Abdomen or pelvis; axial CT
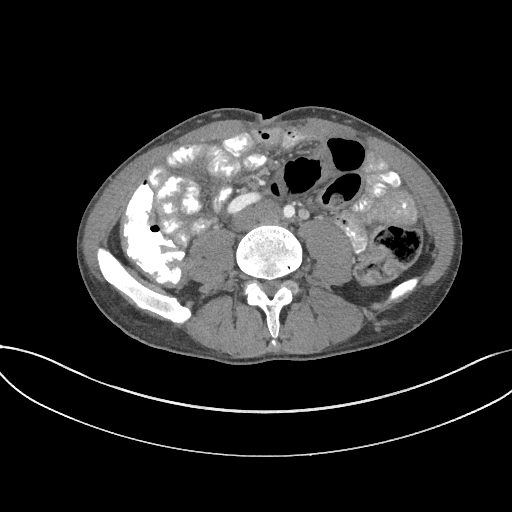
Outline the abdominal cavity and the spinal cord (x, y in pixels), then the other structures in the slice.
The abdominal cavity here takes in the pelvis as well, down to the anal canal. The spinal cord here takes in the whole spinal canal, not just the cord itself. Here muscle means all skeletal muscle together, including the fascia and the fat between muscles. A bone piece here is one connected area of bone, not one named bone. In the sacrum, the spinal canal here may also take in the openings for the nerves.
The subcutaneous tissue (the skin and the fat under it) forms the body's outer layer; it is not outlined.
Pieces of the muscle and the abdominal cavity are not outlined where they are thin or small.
{"abdominal_cavity":[[[359,304],[419,275],[434,245],[403,179],[356,140],[280,124],[185,144],[140,183],[109,234],[113,253],[140,277],[190,300],[200,284],[185,261],[202,230],[231,229],[234,251],[260,223],[298,238],[302,223],[325,220],[352,249],[352,279],[331,288]]],"spinal_cord":[[[269,296],[272,296],[275,293],[275,292],[279,288],[279,287],[280,286],[280,284],[281,283],[281,281],[282,280],[281,279],[279,279],[278,278],[277,279],[274,279],[273,280],[263,280],[261,282],[261,287],[262,288],[262,289]]],"bones":[{"outer":[[274,346],[279,332],[279,313],[297,292],[297,283],[293,274],[301,265],[302,247],[293,233],[286,228],[279,225],[260,224],[242,237],[237,245],[235,257],[237,265],[247,276],[244,284],[246,301],[250,305],[258,306],[265,313],[272,337],[270,343]],"hole":[[269,296],[272,296],[275,293],[275,292],[279,288],[279,287],[280,286],[280,284],[281,283],[281,281],[282,280],[281,279],[279,279],[278,278],[277,279],[274,279],[273,280],[263,280],[261,282],[261,287],[262,288],[262,289]]},[[179,324],[183,323],[190,317],[191,309],[189,306],[182,305],[175,296],[160,293],[145,286],[137,280],[109,250],[102,247],[99,247],[97,249],[96,257],[99,269],[107,282],[113,285],[129,297],[138,307],[142,309],[146,309],[158,314],[174,323]],[[389,300],[392,300],[393,299],[395,299],[403,295],[407,292],[412,291],[416,286],[419,280],[419,278],[417,276],[414,276],[394,286],[391,289],[390,291],[390,293],[388,297],[388,299]]],"torso":[[[232,365],[313,360],[375,347],[410,332],[435,311],[458,271],[462,229],[445,188],[411,150],[371,123],[331,107],[298,106],[267,118],[244,108],[220,107],[195,114],[160,133],[102,182],[83,211],[76,236],[80,275],[95,305],[125,334],[143,344]]],"muscle":[{"outer":[[236,357],[254,357],[267,352],[315,353],[322,351],[332,345],[335,345],[338,343],[346,341],[349,338],[356,334],[371,319],[378,315],[381,312],[390,306],[409,296],[418,289],[420,289],[425,286],[429,286],[435,283],[445,274],[451,261],[451,258],[453,254],[453,246],[454,245],[454,228],[451,216],[449,213],[448,208],[446,206],[439,191],[431,179],[412,158],[394,145],[385,141],[381,138],[361,132],[350,126],[335,121],[331,121],[327,119],[323,119],[318,117],[303,117],[302,118],[290,119],[289,120],[281,120],[280,119],[276,121],[270,121],[269,122],[265,122],[264,121],[250,121],[243,119],[225,119],[224,120],[218,120],[206,123],[204,125],[202,125],[183,134],[170,142],[151,148],[143,154],[135,158],[123,168],[111,181],[105,188],[94,207],[91,210],[84,229],[84,235],[82,240],[82,249],[84,254],[84,259],[90,273],[97,280],[115,291],[129,304],[139,311],[149,316],[160,319],[166,322],[169,322],[207,348],[213,349],[220,353],[226,353],[227,352],[229,354],[231,354]],"hole":[[274,346],[307,256],[305,221],[347,235],[352,279],[331,288],[354,303],[412,291],[434,249],[386,160],[281,124],[183,145],[134,191],[111,250],[96,252],[107,282],[180,324],[191,309],[175,296],[200,293],[185,269],[192,239],[231,229],[246,301]]},[[168,294],[172,294],[170,294],[162,290],[160,288],[157,287],[153,284],[151,284],[146,281],[144,281],[141,278],[140,278],[131,269],[130,269],[125,265],[125,266],[131,272],[131,273],[142,283],[157,291],[163,292],[164,293],[167,293]]]}